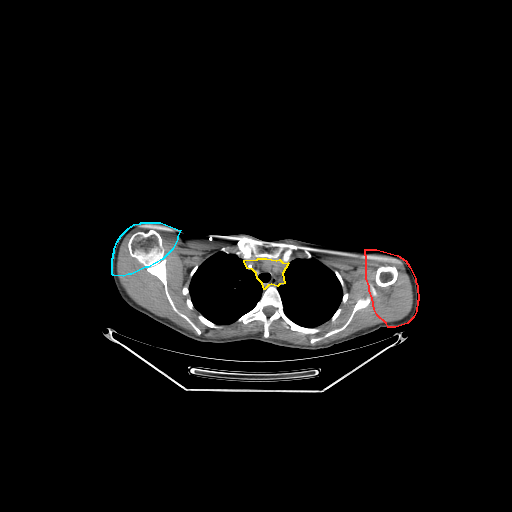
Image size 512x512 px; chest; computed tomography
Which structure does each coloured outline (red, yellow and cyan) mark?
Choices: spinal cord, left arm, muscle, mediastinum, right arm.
red: left arm; yellow: mediastinum; cyan: right arm.
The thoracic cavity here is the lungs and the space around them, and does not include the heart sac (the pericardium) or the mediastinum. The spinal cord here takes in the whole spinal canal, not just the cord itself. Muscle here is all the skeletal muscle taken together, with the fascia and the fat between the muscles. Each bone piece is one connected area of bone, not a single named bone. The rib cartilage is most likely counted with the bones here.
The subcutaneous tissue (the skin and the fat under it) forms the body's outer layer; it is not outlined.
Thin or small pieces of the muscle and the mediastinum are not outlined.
Outlined structures:
left arm: 365 249; 376 249; 397 255; 405 260; 409 266; 415 278; 415 281; 417 286; 418 300; 417 301; 416 311; 413 317; 407 323; 395 327; 388 327; 386 323; 377 315; 374 309; 372 298; 369 290; 369 286; 366 278; 366 256; 365 255
mediastinum: 258 258; 266 258; 276 260; 279 259; 282 262; 288 263; 282 273; 284 283; 279 284; 277 286; 271 284; 268 285; 264 289; 262 283; 257 278; 256 273; 252 269; 247 268; 244 261; 244 260; 257 259
right arm: 141 222; 160 222; 180 230; 177 236; 177 239; 172 249; 162 259; 148 267; 145 267; 131 274; 128 274; 123 276; 113 275; 112 274; 112 258; 113 257; 113 253; 114 252; 114 249; 117 241; 121 235; 128 228; 134 224; 140 223
muscle 1: 145 225; 166 228; 184 242; 235 243; 236 250; 222 246; 199 265; 195 264; 188 274; 189 284; 182 287; 181 293; 186 297; 186 306; 199 312; 197 318; 205 326; 221 329; 234 322; 245 325; 260 321; 262 336; 202 336; 201 329; 176 306; 169 292; 163 238; 151 229; 140 229; 130 235; 126 244; 128 254; 161 282; 172 310; 196 335; 136 303; 119 280; 117 261; 126 235
muscle 2: 368 254; 378 254; 393 257; 402 263; 411 283; 413 297; 412 307; 406 316; 395 321; 380 322; 339 339; 316 345; 297 344; 284 340; 268 338; 270 336; 270 325; 274 321; 279 319; 282 320; 282 324; 285 328; 304 335; 316 335; 321 331; 320 326; 329 320; 333 323; 341 314; 342 308; 340 304; 344 304; 349 296; 349 294; 345 290; 345 282; 337 269; 332 270; 314 256; 357 258 with holes at 368 283; 372 284; 377 292; 377 294; 375 296; 371 297; 369 304; 367 306; 359 309; 354 314; 351 321; 344 329; 311 344; 310 340; 312 337; 321 336; 330 330; 342 326; 345 323; 351 314; 357 300; 360 298; 365 298; 371 294 and at 381 265; 393 265; 396 267; 398 271; 398 275; 397 276; 397 279; 393 284; 391 285; 389 285; 388 286; 386 286; 385 287; 381 287; 375 284; 375 280; 374 279; 374 277; 375 276; 375 273; 376 272; 376 270; 377 268
torso: 181 230; 190 236; 233 236; 244 233; 267 242; 282 238; 293 238; 348 249; 364 249; 365 278; 373 309; 387 327; 339 345; 318 350; 287 348; 254 339; 223 344; 192 340; 129 306; 118 293; 112 276; 131 275; 158 263; 173 249
spinal cord: 266 306; 271 306; 272 307; 273 307; 274 308; 274 311; 273 312; 273 313; 271 315; 270 315; 269 316; 267 316; 266 315; 266 314; 263 311; 263 309
bones 1: 140 230; 154 231; 162 238; 164 257; 166 260; 165 265; 168 292; 175 306; 200 329; 200 335; 197 335; 195 330; 173 310; 166 296; 162 282; 156 276; 148 272; 145 266; 139 263; 135 258; 129 254; 127 246; 129 238; 133 233
bones 2: 271 285; 276 287; 283 311; 289 319; 302 327; 319 327; 320 331; 316 334; 304 334; 285 327; 283 320; 279 318; 269 325; 269 336; 265 338; 263 337; 263 323; 260 320; 252 320; 245 324; 237 322; 237 319; 255 306; 263 291 with a hole at 266 306; 271 306; 272 307; 273 307; 274 308; 274 311; 273 312; 273 313; 271 315; 270 315; 269 316; 267 316; 266 315; 266 314; 263 311; 263 309
bones 3: 242 238; 248 238; 253 240; 257 239; 267 242; 302 245; 312 256; 310 258; 295 257; 291 258; 288 262; 282 261; 279 258; 276 259; 266 257; 244 259; 233 252; 227 253; 220 250; 222 247; 228 247; 232 252; 236 251; 236 243
bones 4: 368 283; 372 284; 377 292; 377 294; 375 296; 371 297; 369 304; 367 306; 359 309; 354 314; 351 321; 344 329; 311 344; 310 340; 312 337; 321 336; 330 330; 342 326; 345 323; 351 314; 357 300; 360 298; 365 298; 371 294
bones 5: 381 265; 393 265; 396 267; 398 271; 398 275; 397 276; 397 279; 393 284; 391 285; 389 285; 388 286; 386 286; 385 287; 381 287; 375 284; 375 280; 374 279; 374 277; 375 276; 375 273; 376 272; 376 270; 377 268
bones 6: 199 314; 201 314; 205 318; 206 318; 208 320; 211 321; 213 323; 214 323; 217 325; 223 325; 223 326; 221 328; 213 328; 212 327; 209 327; 208 326; 205 325; 203 323; 202 323; 199 320; 199 319; 198 318; 198 315
bones 7: 335 270; 337 270; 340 274; 340 275; 344 282; 344 290; 348 294; 347 299; 344 303; 341 303; 341 302; 342 301; 342 298; 343 297; 343 289; 342 288; 342 286; 341 285; 338 278; 336 276; 336 275; 334 272; 334 271
bones 8: 186 285; 188 286; 188 290; 189 291; 189 296; 190 297; 190 299; 194 307; 193 309; 190 309; 187 306; 187 304; 186 303; 186 300; 187 299; 187 297; 182 293; 182 289; 183 287
bones 9: 339 307; 340 307; 341 308; 341 312; 340 313; 340 314; 336 318; 336 319; 333 322; 332 322; 330 320; 330 319; 331 318; 331 317; 334 314; 334 313; 336 311; 336 310
bones 10: 195 265; 198 265; 198 267; 196 269; 196 270; 194 272; 194 273; 193 274; 193 275; 190 278; 190 276; 189 275; 189 274; 190 273; 190 271; 193 268; 193 267
thoracic cavity 1: 218 251; 227 254; 233 253; 241 258; 244 262; 245 267; 249 270; 252 270; 255 273; 256 278; 259 280; 263 287; 261 295; 254 306; 242 314; 235 321; 227 324; 217 324; 200 313; 194 306; 189 290; 191 278; 199 266; 207 258
thoracic cavity 2: 313 256; 317 258; 318 260; 333 271; 341 286; 342 297; 339 306; 327 321; 319 326; 307 327; 296 323; 286 315; 284 311; 281 295; 277 287; 279 285; 283 285; 285 283; 283 273; 288 264; 291 261; 296 258; 310 259